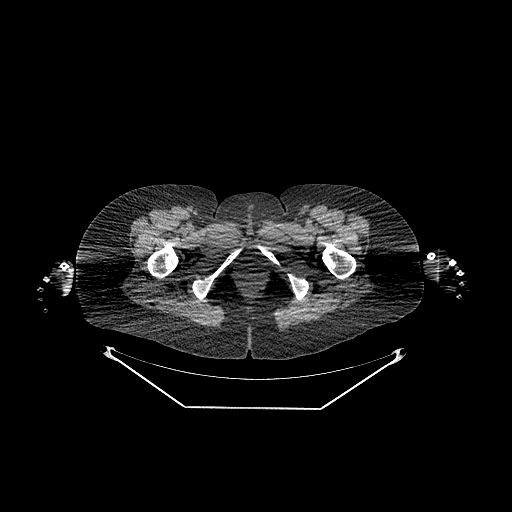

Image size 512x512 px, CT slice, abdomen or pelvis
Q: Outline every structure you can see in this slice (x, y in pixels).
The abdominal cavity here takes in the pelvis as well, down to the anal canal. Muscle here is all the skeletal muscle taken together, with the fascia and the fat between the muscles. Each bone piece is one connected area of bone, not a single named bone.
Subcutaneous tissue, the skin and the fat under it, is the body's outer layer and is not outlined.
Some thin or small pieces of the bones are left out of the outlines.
A: {"muscle":[{"outer":[[309,203],[324,203],[354,212],[369,222],[369,242],[364,260],[367,276],[373,284],[372,290],[343,309],[311,323],[281,329],[273,310],[289,298],[290,292],[273,267],[265,291],[256,303],[243,302],[229,276],[232,266],[225,271],[211,297],[213,303],[224,308],[224,318],[218,327],[142,308],[125,298],[122,284],[133,262],[128,234],[132,222],[143,212],[181,205],[212,222],[225,220],[246,224],[261,219],[283,222]],"holes":[[[247,258],[255,258],[257,259],[267,269],[267,271],[268,272],[267,279],[259,290],[257,295],[255,297],[251,297],[250,298],[247,297],[242,293],[237,283],[237,281],[235,277],[235,274],[234,273],[236,268],[239,265],[239,263],[244,259],[246,259]],[[330,243],[334,244],[338,248],[340,249],[342,249],[343,250],[345,250],[349,252],[353,256],[354,256],[356,260],[357,266],[356,267],[356,270],[355,272],[345,279],[339,279],[335,277],[325,266],[321,259],[321,253],[322,252],[322,250],[328,244]],[[168,244],[171,244],[172,245],[172,247],[175,250],[179,257],[179,262],[178,263],[178,265],[168,275],[161,279],[159,279],[156,277],[152,276],[149,273],[146,268],[146,265],[147,264],[146,262],[149,255],[152,252],[155,252],[159,250],[163,246]],[[239,247],[242,247],[242,250],[240,253],[233,259],[213,280],[210,290],[205,297],[205,300],[206,301],[201,301],[199,300],[196,297],[192,290],[192,283],[193,281],[195,279],[198,278],[199,279],[202,279],[214,272],[225,261],[227,257],[235,249]],[[287,273],[291,273],[295,276],[301,277],[302,278],[305,278],[308,281],[308,283],[309,284],[309,288],[308,289],[307,293],[304,296],[304,298],[302,300],[298,300],[296,299],[292,291],[291,285],[290,284],[289,278],[287,275]],[[256,244],[260,244],[261,245],[263,245],[264,246],[267,247],[267,250],[268,251],[271,252],[278,260],[278,261],[279,262],[279,265],[278,265],[274,262],[273,262],[265,255],[263,255],[258,249],[257,249],[256,248],[254,248],[253,247],[253,246]]]},[[436,255],[450,259],[446,263],[447,267],[457,268],[454,272],[457,276],[461,277],[457,284],[459,287],[463,287],[462,295],[458,292],[455,294],[455,298],[451,297],[448,292],[446,275],[440,272],[434,273],[433,275],[430,272],[428,260],[433,261]],[[57,267],[59,267],[59,270],[61,272],[66,272],[68,269],[70,269],[72,275],[67,287],[58,288],[56,290],[54,297],[54,307],[50,310],[48,307],[42,305],[45,298],[41,293],[45,289],[43,285],[44,283],[50,282],[50,276]]],"left_arm":[[[437,247],[442,247],[446,249],[449,252],[451,259],[455,261],[467,277],[467,285],[470,291],[467,295],[464,304],[460,306],[452,306],[442,303],[442,298],[440,296],[442,290],[440,288],[440,284],[436,281],[429,280],[423,275],[422,261],[430,251]]],"torso":[[[163,183],[202,186],[218,201],[251,191],[278,196],[290,186],[308,183],[371,191],[392,205],[415,234],[422,260],[421,300],[396,321],[323,351],[285,360],[254,359],[249,352],[242,359],[201,357],[96,327],[74,302],[75,258],[83,232],[117,196]]],"right_arm":[[[64,259],[70,260],[74,265],[74,280],[73,281],[73,285],[67,297],[60,304],[60,306],[53,313],[51,314],[42,314],[38,312],[31,302],[31,294],[32,293],[33,287],[42,275],[44,274],[47,269],[48,269],[55,261],[57,260],[63,260]]],"bones":[[[330,243],[334,244],[338,248],[340,249],[342,249],[343,250],[345,250],[349,252],[353,256],[354,256],[356,260],[357,266],[356,267],[356,270],[355,272],[345,279],[339,279],[335,277],[325,266],[321,259],[321,253],[322,252],[322,250],[328,244]],[[168,244],[171,244],[172,245],[172,247],[175,250],[179,257],[179,262],[178,263],[178,265],[168,275],[161,279],[159,279],[156,277],[152,276],[149,273],[146,268],[146,265],[147,264],[146,262],[149,255],[152,252],[155,252],[159,250],[163,246]],[[239,247],[242,247],[242,250],[240,253],[233,259],[213,280],[210,290],[205,297],[205,300],[206,301],[201,301],[199,300],[196,297],[192,290],[192,283],[193,281],[195,279],[198,278],[199,279],[202,279],[214,272],[225,261],[227,257],[235,249]],[[287,273],[291,273],[295,276],[301,277],[302,278],[305,278],[308,281],[308,283],[309,284],[309,288],[308,289],[307,293],[304,296],[304,298],[302,300],[298,300],[296,299],[292,291],[291,285],[290,284],[289,278],[287,275]],[[256,244],[260,244],[261,245],[263,245],[264,246],[267,247],[267,250],[268,251],[271,252],[278,260],[278,261],[279,262],[279,265],[278,265],[274,262],[273,262],[265,255],[263,255],[258,249],[257,249],[256,248],[254,248],[253,247],[253,246]],[[62,262],[65,262],[66,263],[67,263],[69,265],[69,266],[70,267],[71,267],[70,267],[69,268],[68,268],[66,270],[66,271],[61,271],[60,270],[60,267],[59,266],[60,265],[60,264]],[[430,252],[431,252],[432,252],[433,252],[434,253],[435,254],[435,255],[435,256],[435,257],[435,258],[434,259],[433,260],[432,260],[431,260],[430,260],[429,260],[428,259],[428,258],[427,257],[427,256],[427,255],[428,254],[429,253]],[[458,268],[459,268],[460,268],[461,269],[462,269],[463,270],[463,271],[464,272],[464,273],[463,274],[463,275],[462,275],[461,276],[460,276],[459,276],[458,275],[457,275],[456,274],[456,273],[455,272],[455,271],[456,270],[456,269],[457,269]],[[450,260],[451,260],[452,260],[453,260],[454,261],[455,261],[455,262],[456,263],[456,264],[455,265],[455,266],[454,266],[453,267],[452,267],[451,266],[450,266],[449,266],[448,266],[447,266],[447,265],[447,264],[447,263],[448,262],[449,261]],[[39,295],[40,295],[41,295],[42,296],[43,296],[43,297],[44,298],[44,299],[44,300],[43,301],[43,302],[42,302],[41,303],[40,303],[39,302],[38,302],[37,301],[37,300],[36,299],[36,298],[37,297],[37,296],[38,296]],[[461,279],[462,279],[463,280],[464,280],[464,281],[465,282],[465,283],[465,284],[464,285],[464,286],[463,286],[462,287],[461,287],[460,286],[459,286],[459,285],[458,284],[458,283],[458,282],[459,281],[459,280],[460,280]],[[46,275],[47,275],[48,276],[49,276],[49,277],[50,278],[50,279],[50,280],[49,281],[49,282],[48,282],[47,282],[46,282],[45,281],[44,281],[44,280],[43,279],[43,278],[44,277],[44,276],[45,276]],[[40,285],[41,285],[42,286],[43,286],[43,287],[44,288],[44,289],[43,290],[43,291],[42,291],[41,292],[40,292],[39,291],[38,291],[38,290],[37,289],[37,288],[38,287],[38,286],[39,286]],[[458,293],[459,293],[460,294],[461,294],[461,295],[462,296],[462,297],[461,298],[461,299],[460,299],[459,300],[458,300],[457,299],[456,299],[456,298],[455,297],[455,296],[456,295],[456,294],[457,294]],[[45,307],[46,307],[47,308],[48,308],[48,309],[49,310],[49,311],[48,312],[48,313],[47,313],[46,314],[45,314],[44,313],[43,313],[43,312],[42,311],[42,310],[43,309],[43,308],[44,308]]],"abdominal_cavity":[[[247,258],[255,258],[257,259],[267,269],[267,271],[268,272],[267,279],[259,290],[257,295],[255,297],[251,297],[250,298],[247,297],[242,293],[237,283],[237,281],[235,277],[235,274],[234,273],[236,268],[239,265],[239,263],[244,259],[246,259]]]}